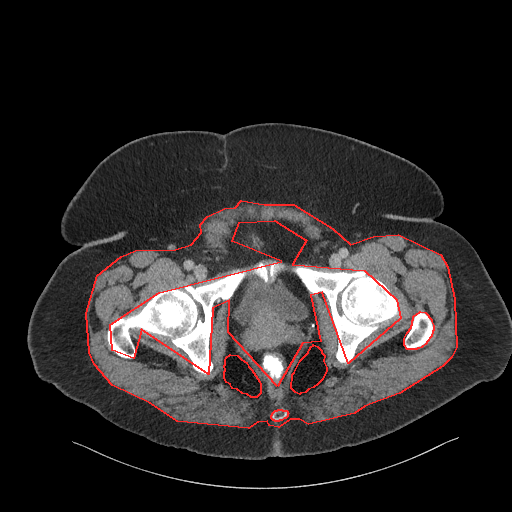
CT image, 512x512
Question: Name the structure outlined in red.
Answer: red: muscle.
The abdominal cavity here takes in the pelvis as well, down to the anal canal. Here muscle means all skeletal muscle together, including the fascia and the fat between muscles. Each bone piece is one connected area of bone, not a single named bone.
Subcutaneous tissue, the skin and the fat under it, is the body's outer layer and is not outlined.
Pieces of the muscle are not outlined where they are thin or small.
{"muscle":[{"outer":[[241,200],[264,204],[293,204],[332,228],[350,244],[373,236],[398,234],[440,254],[447,266],[454,299],[456,347],[451,357],[442,366],[399,393],[364,406],[354,413],[308,424],[299,419],[290,419],[278,427],[269,425],[267,421],[257,422],[248,428],[177,421],[150,403],[112,385],[94,364],[89,352],[86,313],[97,275],[121,256],[135,250],[175,249],[191,244],[201,232],[200,224],[207,216],[224,208],[235,207]],"holes":[[[274,220],[306,240],[292,264],[364,270],[396,299],[400,318],[348,363],[322,292],[310,295],[320,341],[302,343],[277,386],[228,332],[229,300],[212,308],[208,374],[141,329],[133,358],[112,350],[110,324],[159,292],[281,261],[232,241],[239,222]],[[313,344],[317,346],[321,350],[321,352],[324,355],[323,361],[326,367],[326,371],[321,380],[317,384],[313,387],[308,389],[305,392],[300,393],[299,394],[295,392],[291,388],[292,374],[294,372],[300,360],[308,352],[309,349],[311,346],[313,345]],[[230,354],[237,355],[241,359],[246,362],[248,366],[251,369],[259,381],[260,383],[260,393],[256,397],[251,397],[247,394],[242,393],[237,389],[232,388],[230,384],[226,382],[224,377],[224,371],[225,370],[224,365],[225,364],[225,359],[226,357]],[[420,311],[425,312],[431,319],[431,321],[433,325],[433,330],[432,331],[431,336],[426,342],[426,343],[421,347],[419,348],[417,348],[416,349],[407,349],[404,345],[404,338],[407,332],[411,327],[411,325],[412,324],[412,320],[413,319],[413,316]],[[278,409],[281,409],[282,410],[286,410],[288,413],[287,414],[287,416],[285,418],[284,418],[281,420],[279,420],[278,421],[275,421],[274,420],[273,420],[271,418],[271,415],[272,414],[272,413],[275,410],[277,410]]]}],"abdominal_cavity":[[[285,271],[294,274],[311,296],[315,307],[317,320],[316,332],[320,341],[314,336],[309,336],[293,356],[283,382],[275,386],[262,375],[254,360],[228,332],[227,312],[230,300],[242,282],[248,276],[254,275],[264,282],[269,283],[273,282],[278,274]],[[274,220],[287,221],[295,225],[304,236],[306,240],[306,245],[296,253],[299,259],[291,263],[287,263],[283,261],[278,254],[268,253],[264,249],[252,250],[248,247],[237,245],[234,241],[232,241],[232,230],[239,222],[269,222]]],"torso":[[[263,122],[345,134],[395,153],[431,176],[444,199],[435,219],[472,245],[511,316],[511,354],[499,377],[379,438],[324,453],[255,460],[158,444],[37,376],[27,348],[30,316],[58,264],[78,247],[63,239],[60,222],[97,164],[149,134],[226,133]]],"bones":[[[270,259],[364,270],[389,289],[400,318],[382,322],[348,363],[335,356],[326,296],[310,294],[288,270],[269,282],[248,275],[229,300],[214,303],[208,374],[195,371],[188,355],[160,334],[131,329],[130,359],[108,344],[110,324],[159,292],[211,283]],[[420,311],[425,312],[431,319],[431,321],[433,325],[433,330],[432,331],[431,336],[426,342],[426,343],[421,347],[419,348],[417,348],[416,349],[407,349],[404,345],[404,338],[407,332],[411,327],[411,325],[412,324],[412,320],[413,319],[413,316]],[[278,409],[281,409],[282,410],[286,410],[288,413],[287,414],[287,416],[285,418],[284,418],[281,420],[279,420],[278,421],[275,421],[274,420],[273,420],[271,418],[271,415],[272,414],[272,413],[275,410],[277,410]]]}